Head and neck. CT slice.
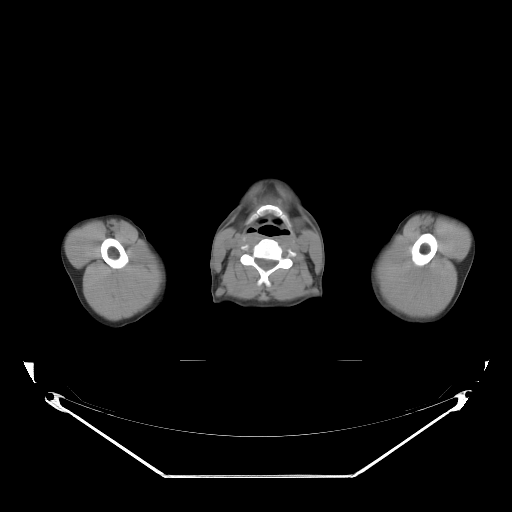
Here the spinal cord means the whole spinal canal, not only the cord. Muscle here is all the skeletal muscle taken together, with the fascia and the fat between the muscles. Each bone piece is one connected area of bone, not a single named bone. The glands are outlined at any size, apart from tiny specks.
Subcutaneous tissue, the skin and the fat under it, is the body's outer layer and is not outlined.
{"bones":[{"outer":[[267,237],[274,239],[284,250],[289,248],[295,252],[291,257],[292,265],[289,268],[279,268],[268,276],[269,286],[264,283],[258,285],[260,277],[258,271],[253,266],[244,265],[240,261],[240,257],[245,252],[241,248],[242,245],[248,244],[251,248]],"hole":[[257,258],[261,258],[262,259],[266,259],[267,260],[275,260],[276,261],[277,261],[277,262],[276,263],[276,264],[275,265],[274,265],[271,268],[270,268],[269,269],[264,269],[263,268],[262,268],[255,261],[255,259],[256,259]]},[[426,232],[431,233],[436,238],[436,240],[437,241],[437,249],[433,257],[426,264],[422,266],[418,266],[416,265],[412,261],[412,259],[411,258],[411,247],[414,243],[414,242],[419,237],[419,236],[421,234],[423,233],[425,233]],[[107,237],[113,237],[117,240],[118,240],[123,246],[127,254],[127,256],[128,257],[128,262],[123,267],[121,268],[113,268],[111,267],[107,263],[105,262],[105,261],[102,258],[101,256],[101,252],[100,251],[100,246],[103,240]],[[267,204],[277,206],[283,212],[288,219],[288,221],[290,225],[290,229],[289,229],[288,225],[280,216],[272,212],[266,212],[263,215],[259,216],[256,219],[254,219],[249,223],[247,222],[252,214],[253,214],[261,206],[266,205]]],"submandibular_glands":[[[295,217],[302,217],[304,219],[304,223],[303,224],[303,226],[302,227],[298,227],[294,223],[294,221],[293,220],[293,219]]],"spinal_cord":[[[257,258],[261,258],[262,259],[266,259],[267,260],[275,260],[276,261],[277,261],[277,262],[276,263],[276,264],[275,265],[274,265],[271,268],[270,268],[269,269],[264,269],[263,268],[262,268],[255,261],[255,259],[256,259]]],"muscle":[{"outer":[[275,181],[282,184],[291,192],[318,233],[321,243],[322,260],[316,281],[317,293],[288,301],[274,299],[269,301],[259,301],[255,299],[242,300],[233,297],[217,296],[218,275],[214,269],[213,250],[219,231],[240,207],[249,191],[256,184]],"hole":[[267,204],[277,206],[290,225],[290,234],[272,238],[284,250],[289,248],[295,252],[289,268],[279,268],[268,276],[269,286],[264,283],[258,285],[258,271],[240,261],[245,252],[241,248],[242,245],[248,244],[251,248],[267,237],[246,231],[251,215]]},{"outer":[[422,213],[430,213],[434,216],[442,215],[462,223],[470,232],[471,245],[467,255],[457,267],[458,275],[456,289],[446,307],[434,317],[412,318],[396,311],[387,305],[382,298],[375,282],[374,268],[382,251],[396,235],[402,232],[406,222],[414,215]],"hole":[[426,232],[431,233],[436,238],[436,240],[437,241],[437,249],[433,257],[426,264],[422,266],[418,266],[416,265],[412,261],[412,259],[411,258],[411,247],[414,243],[414,242],[419,237],[419,236],[421,234],[423,233],[425,233]]},{"outer":[[108,218],[122,219],[130,223],[137,230],[138,236],[145,241],[157,256],[163,271],[163,282],[161,289],[152,303],[133,316],[117,321],[111,321],[100,316],[88,304],[82,291],[81,275],[69,262],[64,249],[66,237],[72,229],[90,220],[105,220]],"hole":[[107,237],[113,237],[117,240],[118,240],[123,246],[127,254],[127,256],[128,257],[128,262],[123,267],[121,268],[113,268],[111,267],[107,263],[105,262],[105,261],[102,258],[101,256],[101,252],[100,251],[100,246],[103,240]]}],"head_and_neck":[{"outer":[[268,170],[275,170],[283,175],[295,188],[307,209],[319,224],[325,249],[322,278],[323,295],[320,299],[310,299],[294,306],[282,308],[250,308],[232,303],[216,304],[211,297],[209,267],[214,232],[235,205],[246,185],[262,172],[271,172],[271,170]],"hole":[[266,213],[272,213],[280,217],[287,225],[287,227],[291,233],[290,234],[283,234],[277,237],[271,237],[270,238],[269,238],[266,235],[259,235],[256,233],[248,233],[246,231],[246,228],[247,226],[251,222],[254,220],[256,220],[259,217],[263,216]]}],"left_arm":[[[424,207],[436,208],[453,212],[465,219],[471,225],[474,231],[476,239],[476,249],[471,268],[467,275],[461,293],[451,310],[441,320],[435,323],[412,324],[404,322],[382,309],[372,294],[368,274],[374,254],[378,248],[390,237],[399,222],[413,210]]],"right_arm":[[[108,212],[123,214],[131,218],[143,230],[147,239],[160,252],[165,260],[169,275],[169,283],[166,294],[157,309],[134,323],[118,328],[108,327],[99,323],[93,319],[82,307],[62,264],[59,251],[60,241],[64,232],[74,222],[86,216]]]}